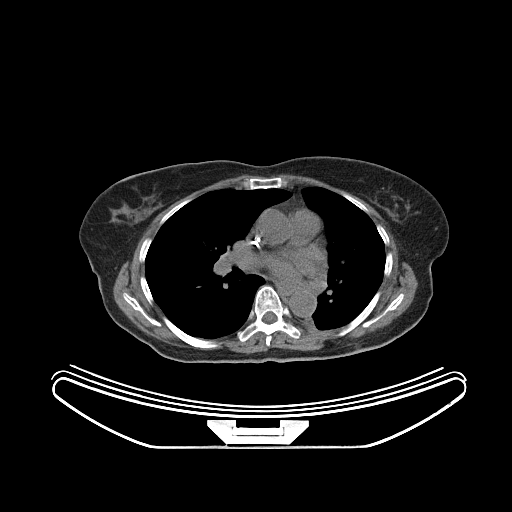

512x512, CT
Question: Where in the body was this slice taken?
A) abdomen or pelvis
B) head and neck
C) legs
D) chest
Answer: D) chest
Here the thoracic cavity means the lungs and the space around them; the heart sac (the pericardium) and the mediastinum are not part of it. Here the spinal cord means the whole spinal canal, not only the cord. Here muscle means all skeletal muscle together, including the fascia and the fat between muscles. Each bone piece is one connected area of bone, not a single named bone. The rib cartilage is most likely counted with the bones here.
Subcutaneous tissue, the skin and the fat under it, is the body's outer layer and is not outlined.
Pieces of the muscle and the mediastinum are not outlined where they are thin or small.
{"bones":[{"outer":[[262,285],[271,286],[279,296],[282,304],[287,307],[293,321],[301,331],[298,338],[293,338],[280,330],[277,330],[271,334],[269,346],[266,345],[266,335],[262,331],[257,331],[245,341],[240,341],[237,338],[235,333],[246,323],[253,307],[256,292]],"hole":[[267,312],[272,312],[276,316],[276,319],[275,320],[275,321],[274,321],[273,322],[272,322],[271,323],[267,323],[266,322],[265,322],[264,321],[263,321],[263,320],[262,319],[262,318],[263,317],[263,316]]},[[378,290],[380,291],[379,298],[366,318],[367,320],[378,316],[390,302],[401,293],[403,294],[403,298],[397,307],[395,309],[388,311],[378,320],[366,327],[363,327],[360,323],[346,334],[342,336],[337,336],[336,334],[342,327],[349,323],[365,308]],[[163,316],[165,316],[172,323],[173,323],[182,331],[193,337],[195,337],[196,338],[201,338],[206,340],[215,340],[218,342],[221,342],[221,343],[217,347],[215,347],[214,348],[200,348],[199,347],[194,347],[180,339],[164,323],[162,319],[162,317]],[[251,177],[257,177],[258,178],[265,178],[266,177],[283,177],[288,180],[288,185],[282,188],[280,188],[279,187],[273,187],[272,188],[254,188],[253,189],[245,189],[242,187],[240,183],[241,181],[245,178],[250,178]],[[125,292],[132,297],[135,298],[137,300],[139,304],[142,307],[144,311],[150,317],[160,322],[161,324],[159,326],[158,326],[157,325],[155,325],[151,323],[146,318],[145,318],[138,310],[136,310],[134,309],[124,299],[123,297],[123,293]],[[187,198],[192,198],[193,199],[191,201],[188,202],[186,204],[185,204],[183,206],[182,206],[174,213],[173,213],[160,226],[159,225],[159,222],[160,221],[161,218],[173,207],[174,207],[176,205],[177,205],[179,203],[180,203],[182,201],[183,201]],[[142,275],[144,275],[145,277],[145,279],[147,282],[147,284],[150,290],[151,295],[153,298],[153,303],[152,304],[150,304],[149,303],[149,302],[147,300],[142,290],[142,288],[141,287],[141,284],[140,283],[140,277]],[[148,237],[150,237],[152,238],[152,241],[149,245],[149,247],[147,250],[147,252],[145,256],[145,260],[144,262],[140,262],[139,261],[139,253],[140,252],[140,249],[141,248],[141,246],[142,245],[142,243],[143,241],[146,238]],[[341,192],[345,192],[351,195],[356,199],[357,199],[360,202],[361,202],[368,209],[369,212],[368,213],[366,213],[363,210],[362,210],[359,207],[355,205],[352,202],[351,202],[349,200],[348,200],[346,198],[342,196],[340,194]],[[388,252],[391,252],[391,253],[392,254],[392,266],[391,267],[391,271],[390,272],[390,273],[389,274],[389,275],[387,277],[385,277],[384,276],[384,268],[385,267],[385,261],[386,260],[386,254]],[[376,224],[380,224],[384,228],[384,229],[385,230],[385,231],[386,232],[386,233],[389,238],[389,244],[388,245],[385,245],[384,244],[384,242],[383,241],[383,240],[382,239],[380,234],[378,232],[378,231],[377,230],[377,228],[376,227]]],"pericardium":[[[287,204],[304,205],[316,212],[320,216],[323,222],[323,235],[326,241],[325,248],[327,255],[326,267],[323,273],[319,277],[309,281],[276,277],[273,275],[270,275],[266,271],[256,268],[252,264],[250,256],[244,244],[254,223],[264,210],[272,206]]],"spinal_cord":[[[267,312],[272,312],[276,316],[276,319],[275,320],[275,321],[274,321],[273,322],[272,322],[271,323],[267,323],[266,322],[265,322],[264,321],[263,321],[263,320],[262,319],[262,318],[263,317],[263,316]]],"thoracic_cavity":[[[226,188],[245,190],[279,188],[291,194],[287,199],[265,208],[241,241],[242,261],[239,267],[246,275],[257,275],[264,280],[255,292],[245,323],[233,333],[206,339],[185,332],[164,314],[154,301],[146,279],[145,261],[158,230],[173,214],[208,192]],[[308,186],[321,187],[334,192],[367,214],[375,225],[385,250],[383,277],[378,289],[355,317],[343,326],[330,329],[318,329],[313,325],[297,321],[312,317],[321,292],[320,282],[326,277],[329,267],[324,222],[316,211],[307,206],[302,194],[302,189]]],"muscle":[[[282,173],[315,178],[362,199],[374,208],[383,218],[393,235],[398,253],[398,262],[400,264],[403,261],[406,262],[410,265],[415,274],[418,284],[413,300],[390,324],[356,338],[327,341],[323,347],[315,350],[275,347],[269,348],[266,351],[244,353],[232,351],[227,348],[201,349],[217,348],[222,342],[214,339],[234,333],[240,342],[245,342],[257,332],[262,332],[265,335],[264,342],[267,347],[271,344],[272,334],[277,331],[283,332],[293,339],[298,339],[302,331],[294,320],[305,326],[313,326],[318,330],[330,330],[341,327],[335,335],[337,337],[342,337],[360,324],[363,328],[366,328],[378,321],[388,312],[395,310],[404,298],[404,294],[402,292],[399,293],[378,315],[367,319],[380,298],[381,291],[379,287],[383,278],[387,278],[390,275],[393,266],[393,254],[391,251],[386,253],[385,249],[385,246],[390,244],[390,238],[385,228],[380,223],[375,224],[368,215],[370,212],[369,209],[351,194],[345,191],[341,191],[339,194],[315,185],[289,185],[289,180],[287,178],[283,176],[271,176]],{"outer":[[243,174],[265,177],[245,177],[239,183],[241,188],[220,188],[208,191],[194,199],[192,197],[185,198],[160,218],[159,228],[154,237],[148,236],[142,241],[138,253],[138,261],[144,263],[144,274],[139,277],[141,290],[150,305],[154,302],[159,307],[164,315],[161,317],[163,323],[180,340],[193,347],[173,345],[145,333],[124,314],[114,300],[113,285],[121,266],[132,259],[140,237],[161,211],[196,190],[217,181]],"hole":[[125,292],[132,297],[135,298],[137,300],[139,304],[142,307],[144,311],[150,317],[160,322],[161,324],[159,326],[158,326],[157,325],[155,325],[151,323],[146,318],[145,318],[138,310],[136,310],[134,309],[124,299],[123,297],[123,293]]}],"mediastinum":[[[247,234],[243,244],[251,264],[276,278],[302,282],[315,280],[326,270],[327,258],[327,271],[319,282],[320,292],[311,317],[293,319],[290,310],[283,304],[276,290],[271,285],[264,284],[263,277],[253,273],[246,274],[240,267],[243,261],[242,241]],[[295,185],[304,185],[307,186],[305,186],[301,189],[301,194],[303,200],[306,205],[304,204],[296,204],[295,203],[292,204],[287,203],[286,204],[273,205],[283,202],[287,200],[291,196],[292,194],[291,192],[283,188],[285,188],[288,186],[294,186]]],"torso":[[[313,155],[349,157],[391,168],[420,183],[440,203],[448,221],[449,239],[442,255],[431,265],[433,295],[416,325],[382,347],[330,359],[184,363],[160,355],[112,320],[78,238],[86,211],[103,190],[126,176],[172,164],[228,159],[270,165]]]}